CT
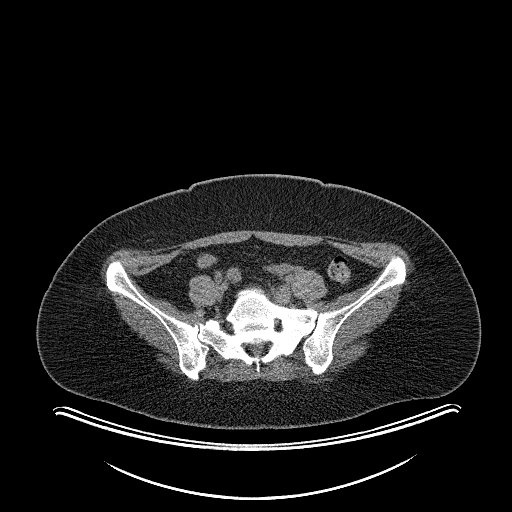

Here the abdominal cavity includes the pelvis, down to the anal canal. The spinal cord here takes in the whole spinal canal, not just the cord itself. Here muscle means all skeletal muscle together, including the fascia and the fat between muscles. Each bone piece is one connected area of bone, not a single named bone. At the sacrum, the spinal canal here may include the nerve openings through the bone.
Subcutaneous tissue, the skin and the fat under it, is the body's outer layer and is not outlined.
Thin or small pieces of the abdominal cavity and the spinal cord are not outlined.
Outlines:
muscle: [[243,229],[265,230],[266,231],[275,231],[276,232],[285,232],[296,234],[332,235],[336,237],[358,241],[389,241],[400,245],[408,253],[413,264],[413,270],[409,276],[409,282],[407,285],[403,287],[403,289],[400,293],[400,298],[397,306],[389,315],[387,319],[382,324],[379,325],[371,335],[372,337],[370,342],[371,346],[367,349],[366,352],[357,360],[349,364],[346,368],[335,375],[332,380],[326,381],[319,384],[314,384],[313,383],[303,384],[296,380],[273,382],[272,381],[264,381],[259,379],[258,380],[252,380],[248,382],[246,381],[221,382],[216,380],[206,380],[196,382],[184,381],[181,377],[176,375],[168,369],[164,368],[160,363],[156,361],[152,354],[152,348],[147,345],[143,339],[138,337],[137,334],[130,329],[127,324],[121,318],[118,310],[115,307],[111,296],[106,293],[104,289],[104,285],[102,282],[100,272],[102,267],[102,263],[107,256],[113,251],[121,247],[131,247],[145,250],[154,249],[160,247],[170,246],[178,243],[182,243],[200,237],[211,235],[218,232],[242,230]], around a hole outlined by [[252,236],[284,246],[326,243],[376,269],[369,282],[330,300],[321,299],[328,291],[321,274],[296,273],[292,295],[320,313],[356,300],[393,255],[405,263],[405,280],[344,320],[333,358],[318,375],[305,363],[302,339],[259,371],[211,347],[192,380],[180,369],[163,324],[107,287],[107,267],[119,260],[153,305],[191,325],[204,323],[203,308],[218,295],[208,275],[188,282],[192,311],[150,295],[137,278],[186,250]]
torso: [[249,173],[301,176],[357,188],[393,201],[428,223],[460,262],[477,301],[481,344],[467,379],[444,396],[402,401],[344,421],[286,429],[215,429],[168,422],[77,395],[56,384],[38,355],[36,319],[53,274],[77,242],[104,218],[138,202],[196,182]]
spinal cord 1: [[259,344],[263,344],[265,346],[265,347],[266,348],[266,351],[265,352],[265,353],[264,354],[263,354],[260,356],[258,356],[257,355],[256,356],[255,355],[254,356],[253,355],[251,355],[249,353],[249,352],[248,351],[248,346],[249,345],[258,345]]
spinal cord 2: [[226,321],[227,321],[228,322],[230,322],[232,324],[232,332],[228,332],[227,331],[224,331],[224,330],[223,329],[222,329],[222,322],[225,322]]
abdominal cavity: [[252,236],[284,246],[326,243],[373,266],[375,276],[323,300],[328,291],[323,276],[302,269],[290,290],[306,307],[279,304],[251,286],[235,293],[223,319],[206,320],[203,308],[218,295],[208,275],[188,282],[192,311],[150,295],[137,278],[186,250]]
bones: [[393,255],[405,263],[404,282],[344,320],[333,358],[318,375],[305,363],[302,339],[259,371],[211,347],[192,380],[180,369],[163,324],[111,291],[105,274],[119,260],[147,300],[194,325],[223,320],[236,293],[251,287],[289,308],[339,309],[365,292]] with holes at [[259,344],[263,344],[265,346],[265,347],[266,348],[266,351],[265,352],[265,353],[264,354],[263,354],[260,356],[258,356],[257,355],[256,356],[255,355],[254,356],[253,355],[251,355],[249,353],[249,352],[248,351],[248,346],[249,345],[258,345]] and at [[226,321],[227,321],[228,322],[230,322],[232,324],[232,332],[228,332],[227,331],[224,331],[224,330],[223,329],[222,329],[222,322],[225,322]]